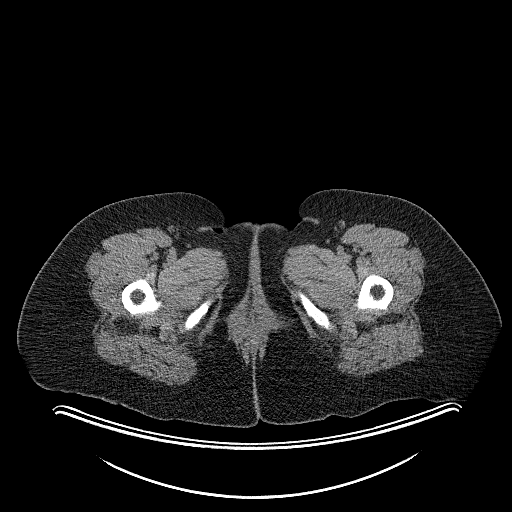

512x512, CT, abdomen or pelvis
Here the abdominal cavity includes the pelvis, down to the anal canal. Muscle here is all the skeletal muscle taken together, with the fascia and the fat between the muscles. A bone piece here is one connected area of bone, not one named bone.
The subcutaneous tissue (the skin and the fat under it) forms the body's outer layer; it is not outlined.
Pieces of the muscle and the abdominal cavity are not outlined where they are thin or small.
The abdominal cavity is outlined by (250, 300) (261, 301) (271, 313) (273, 318) (273, 323) (266, 330) (265, 337) (259, 351) (253, 351) (249, 355) (246, 355) (244, 353) (244, 350) (242, 349) (243, 348) (242, 346) (232, 337) (230, 322) (232, 314) (240, 306) (242, 305) (243, 306) (245, 303). The bones appear in 4 outlined pieces: piece 1: (139, 278) (145, 278) (146, 279) (153, 289) (155, 297) (158, 300) (160, 300) (162, 303) (161, 306) (153, 313) (142, 313) (141, 314) (139, 313) (138, 314) (132, 315) (124, 307) (122, 303) (122, 301) (121, 300) (121, 292) (123, 288) (130, 282) (134, 280) (136, 280); piece 2: (370, 274) (376, 274) (387, 279) (391, 283) (393, 287) (393, 296) (392, 297) (391, 301) (388, 304) (387, 308) (386, 309) (376, 309) (375, 308) (358, 309) (355, 305) (356, 299) (357, 298) (358, 293) (360, 291) (360, 288) (361, 287) (362, 282) (364, 280) (364, 279); piece 3: (299, 290) (301, 291) (319, 309) (320, 309) (322, 311) (326, 313) (331, 323) (331, 325) (332, 326) (330, 330) (327, 330) (323, 327) (318, 325) (307, 314) (306, 311) (304, 309) (303, 306) (301, 304) (299, 298) (296, 294) (297, 291); piece 4: (209, 298) (212, 299) (212, 303) (209, 307) (207, 312) (200, 319) (199, 322) (197, 324) (196, 324) (191, 329) (189, 329) (188, 330) (186, 330) (185, 329) (184, 329) (184, 322) (185, 321) (187, 316) (192, 311) (193, 311) (196, 308) (197, 308) (205, 300) (206, 300). The muscle appears in 3 outlined pieces: piece 1: (155, 226) (192, 248) (203, 246) (222, 251) (229, 269) (229, 281) (211, 331) (204, 336) (195, 353) (199, 359) (198, 371) (187, 383) (177, 386) (152, 381) (109, 364) (93, 347) (92, 330) (99, 311) (88, 293) (89, 280) (84, 266) (89, 255) (102, 239) (110, 235), around holes outlined by (139, 278) (145, 278) (146, 279) (153, 289) (155, 297) (158, 300) (160, 300) (162, 303) (161, 306) (153, 313) (142, 313) (141, 314) (139, 313) (138, 314) (132, 315) (124, 307) (122, 303) (122, 301) (121, 300) (121, 292) (123, 288) (130, 282) (134, 280) (136, 280) and by (209, 298) (212, 299) (212, 303) (209, 307) (207, 312) (200, 319) (199, 322) (197, 324) (196, 324) (191, 329) (189, 329) (188, 330) (186, 330) (185, 329) (184, 329) (184, 322) (185, 321) (187, 316) (192, 311) (193, 311) (196, 308) (197, 308) (205, 300) (206, 300); piece 2: (369, 222) (405, 232) (414, 239) (425, 259) (425, 283) (414, 306) (423, 333) (424, 351) (414, 361) (357, 377) (340, 373) (332, 367) (333, 362) (328, 353) (320, 347) (318, 341) (309, 336) (282, 282) (280, 269) (288, 248) (307, 243) (318, 246) (342, 234) (354, 223), around holes outlined by (370, 274) (376, 274) (387, 279) (391, 283) (393, 287) (393, 296) (392, 297) (391, 301) (388, 304) (387, 308) (386, 309) (376, 309) (375, 308) (358, 309) (355, 305) (356, 299) (357, 298) (358, 293) (360, 291) (360, 288) (361, 287) (362, 282) (364, 280) (364, 279) and by (299, 290) (301, 291) (319, 309) (320, 309) (322, 311) (326, 313) (331, 323) (331, 325) (332, 326) (330, 330) (327, 330) (323, 327) (318, 325) (307, 314) (306, 311) (304, 309) (303, 306) (301, 304) (299, 298) (296, 294) (297, 291); piece 3: (254, 290) (258, 290) (263, 295) (264, 301) (267, 304) (267, 306) (274, 312) (277, 319) (281, 322) (281, 325) (277, 327) (273, 327) (267, 334) (268, 339) (266, 342) (266, 345) (263, 354) (258, 358) (254, 358) (253, 359) (250, 358) (248, 360) (248, 362) (247, 362) (245, 361) (240, 350) (236, 347) (236, 344) (229, 337) (230, 336) (227, 333) (227, 330) (226, 329) (226, 323) (227, 322) (227, 317) (232, 310) (239, 304) (240, 301) (243, 298), around a hole outlined by (250, 300) (261, 301) (271, 313) (273, 318) (273, 323) (266, 330) (265, 337) (259, 351) (253, 351) (249, 355) (246, 355) (244, 353) (244, 350) (242, 349) (243, 348) (242, 346) (232, 337) (230, 322) (232, 314) (240, 306) (242, 305) (243, 306) (245, 303). The torso is outlined by (331, 188) (387, 194) (422, 207) (482, 275) (501, 325) (463, 401) (396, 400) (355, 417) (228, 427) (160, 420) (48, 390) (32, 379) (16, 341) (24, 299) (58, 243) (92, 211) (126, 198) (181, 191) (212, 201) (228, 225) (276, 222) (291, 229) (300, 221) (300, 203).